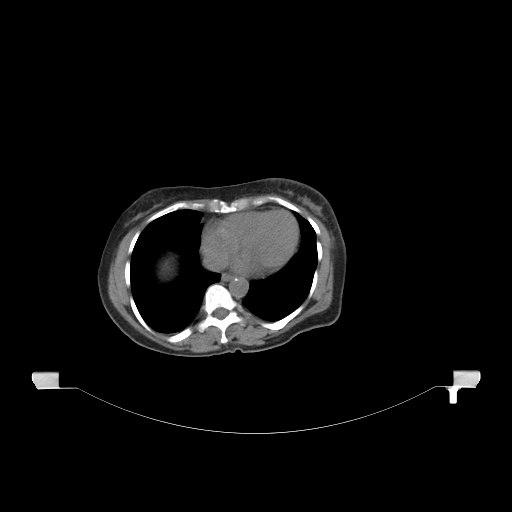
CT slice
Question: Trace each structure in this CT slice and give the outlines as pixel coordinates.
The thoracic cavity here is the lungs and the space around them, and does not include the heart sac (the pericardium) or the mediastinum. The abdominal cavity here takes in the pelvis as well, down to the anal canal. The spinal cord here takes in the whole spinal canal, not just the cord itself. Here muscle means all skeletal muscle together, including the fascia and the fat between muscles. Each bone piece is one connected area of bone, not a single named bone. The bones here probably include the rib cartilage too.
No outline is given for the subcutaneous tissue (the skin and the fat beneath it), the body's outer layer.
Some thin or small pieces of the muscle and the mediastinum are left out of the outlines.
Answer: The torso is outlined by [[265,177],[287,177],[307,183],[330,202],[342,232],[347,255],[339,318],[328,326],[302,332],[290,341],[267,350],[247,353],[237,350],[205,357],[165,354],[140,346],[127,337],[105,311],[96,279],[103,247],[121,212],[142,192],[156,186],[210,187]]. The muscle appears in 2 outlined pieces: piece 1: [[282,197],[304,207],[321,221],[333,237],[330,250],[333,291],[331,303],[325,310],[303,319],[262,344],[228,343],[218,349],[195,352],[172,349],[151,340],[136,330],[113,305],[108,295],[108,274],[119,243],[145,216],[155,212],[146,219],[143,229],[138,229],[132,236],[127,249],[130,259],[124,264],[125,285],[131,291],[131,310],[148,332],[167,334],[165,340],[173,344],[187,338],[194,328],[202,333],[213,326],[220,331],[220,343],[226,344],[227,328],[234,323],[244,326],[250,313],[263,320],[259,322],[263,328],[280,330],[302,311],[306,298],[311,298],[318,281],[317,264],[323,255],[322,244],[317,239],[321,233],[318,224],[309,215],[304,217],[296,205]]; piece 2: [[199,314],[199,317],[198,317],[197,318],[197,320],[195,322],[195,323],[194,324],[194,325],[193,326],[192,325],[191,325],[191,324],[197,318],[197,317],[198,316],[198,315]]. The thoracic cavity appears in 2 outlined pieces: piece 1: [[180,209],[195,210],[201,213],[199,220],[202,226],[198,248],[199,262],[206,270],[219,274],[219,280],[210,284],[206,288],[199,313],[196,318],[180,331],[168,334],[154,330],[144,320],[139,312],[131,290],[130,260],[135,244],[144,228],[155,219]], around a hole outlined by [[165,250],[173,250],[179,253],[180,255],[180,263],[181,264],[180,267],[180,274],[179,277],[178,277],[177,279],[173,282],[167,284],[160,284],[156,281],[154,277],[154,266],[156,263],[156,260],[160,254],[160,252],[163,252]]; piece 2: [[293,211],[300,214],[306,219],[316,235],[315,244],[317,263],[313,272],[308,293],[302,303],[285,316],[274,321],[266,321],[246,310],[242,305],[242,301],[248,293],[250,282],[252,280],[265,279],[277,272],[299,250],[301,244],[301,232],[298,220]]. The spinal cord is outlined by [[217,308],[224,308],[225,309],[226,309],[228,311],[228,312],[227,313],[227,314],[223,318],[218,318],[217,317],[216,317],[215,316],[214,316],[213,315],[213,312]]. The abdominal cavity is outlined by [[165,250],[173,250],[179,253],[180,255],[180,263],[181,264],[180,267],[180,274],[179,277],[178,277],[177,279],[173,282],[167,284],[160,284],[156,281],[154,277],[154,266],[156,263],[156,260],[160,254],[160,252],[163,252]]. The mediastinum appears in 4 outlined pieces: piece 1: [[215,272],[218,272],[219,273],[222,273],[227,275],[231,275],[232,276],[240,277],[241,278],[251,280],[249,282],[249,287],[248,288],[247,293],[242,299],[241,303],[238,302],[233,298],[230,291],[225,286],[218,283],[220,280],[220,274],[217,272]]; piece 2: [[201,210],[205,210],[206,211],[208,211],[209,212],[213,212],[214,213],[222,213],[221,213],[220,214],[218,214],[215,216],[213,216],[209,219],[208,219],[205,222],[203,227],[202,224],[200,222],[200,220],[202,217],[202,213],[200,211]]; piece 3: [[266,203],[275,203],[276,204],[277,204],[280,206],[282,206],[285,208],[287,208],[288,209],[291,210],[292,211],[292,213],[289,210],[288,210],[287,209],[286,209],[283,207],[279,207],[276,205],[261,205],[262,205],[263,204],[265,204]]; piece 4: [[200,261],[201,262],[201,263],[206,268],[207,268],[209,270],[211,270],[212,271],[214,271],[210,271],[209,270],[208,270],[207,269],[206,269],[204,267],[203,267],[202,266],[202,265],[201,264],[201,263],[200,262]]. The pericardium is outlined by [[261,206],[276,206],[279,208],[283,208],[293,214],[297,220],[300,232],[300,244],[298,250],[281,268],[268,275],[265,278],[250,279],[215,271],[206,267],[202,263],[199,257],[199,248],[201,243],[202,230],[206,222],[211,218],[221,214],[233,213]]. The bones appear in 9 outlined pieces: piece 1: [[215,283],[225,287],[232,298],[249,313],[245,316],[245,324],[231,323],[225,330],[226,343],[221,343],[221,331],[213,325],[202,332],[194,327],[192,332],[182,340],[173,343],[167,341],[166,337],[190,325],[193,327],[195,325],[200,317],[205,292]]; inner edge: [[217,308],[224,308],[225,309],[226,309],[228,311],[228,312],[227,313],[227,314],[223,318],[218,318],[217,317],[216,317],[215,316],[214,316],[213,315],[213,312]]; piece 2: [[267,195],[281,197],[296,206],[301,213],[275,202],[266,202],[260,205],[251,205],[245,209],[226,213],[209,211],[207,208],[200,210],[180,208],[146,223],[147,219],[154,213],[178,201],[207,203],[210,200],[217,198],[230,202],[240,198],[251,200]]; piece 3: [[301,304],[304,304],[304,306],[301,311],[297,315],[292,318],[283,327],[282,327],[280,329],[278,329],[277,330],[272,330],[269,328],[263,327],[260,324],[260,322],[261,321],[265,321],[266,322],[274,322],[275,321],[277,321],[291,313]]; piece 4: [[130,296],[132,296],[133,300],[135,303],[135,305],[137,308],[137,310],[140,314],[141,317],[143,319],[143,320],[154,331],[154,333],[151,333],[149,331],[148,331],[140,323],[140,322],[135,316],[132,310],[132,308],[131,307],[131,304],[130,303]]; piece 5: [[316,269],[317,270],[317,281],[316,282],[316,285],[315,286],[315,288],[314,289],[310,298],[307,298],[307,296],[309,293],[309,291],[310,290],[310,288],[311,287],[311,285],[312,284],[312,281],[313,280],[313,276],[314,275],[314,272]]; piece 6: [[128,260],[129,260],[130,261],[130,264],[129,265],[129,279],[130,280],[130,286],[129,287],[128,287],[126,285],[126,282],[125,281],[125,264],[126,263],[126,262]]; piece 7: [[138,230],[139,230],[140,231],[140,233],[139,234],[139,235],[138,236],[138,237],[134,244],[134,246],[133,247],[133,249],[132,250],[131,253],[130,254],[129,254],[128,253],[128,249],[129,248],[129,245],[130,244],[130,242],[131,241],[133,236]]; piece 8: [[307,216],[309,216],[317,224],[317,225],[319,228],[319,230],[320,231],[320,233],[318,235],[317,235],[316,234],[316,233],[315,232],[315,231],[314,230],[314,229],[313,228],[313,227],[311,225],[311,224],[307,220],[307,219],[306,218],[306,217]]; piece 9: [[317,240],[318,240],[320,242],[320,243],[321,244],[321,249],[322,250],[322,255],[321,256],[321,259],[319,261],[318,261],[318,259],[317,258],[317,245],[316,244],[316,242],[317,241]].